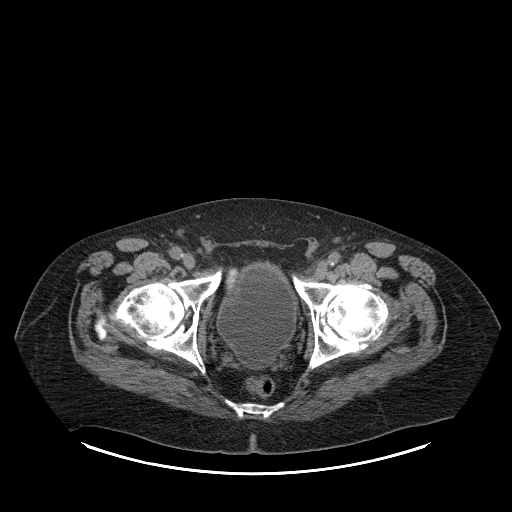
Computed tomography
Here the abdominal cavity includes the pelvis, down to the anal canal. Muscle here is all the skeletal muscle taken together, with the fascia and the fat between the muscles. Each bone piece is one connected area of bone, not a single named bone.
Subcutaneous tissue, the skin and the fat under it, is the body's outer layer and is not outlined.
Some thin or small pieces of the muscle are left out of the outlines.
Outlines (x, y in pixels):
torso: (231, 197) (293, 200) (362, 217) (417, 239) (454, 261) (478, 286) (500, 322) (487, 363) (455, 415) (352, 445) (277, 455) (230, 455) (182, 450) (99, 427) (81, 427) (70, 431) (39, 390) (14, 338) (24, 305) (42, 272) (69, 245) (93, 233) (193, 204)
bones 1: (219, 267) (222, 267) (219, 285) (214, 293) (202, 302) (199, 309) (196, 330) (197, 349) (205, 365) (204, 374) (184, 358) (172, 352) (163, 349) (156, 349) (148, 345) (128, 326) (120, 321) (112, 320) (108, 316) (135, 287) (164, 278) (179, 281) (198, 278) (214, 273)
bones 2: (292, 273) (295, 274) (301, 280) (314, 280) (318, 282) (363, 282) (370, 284) (382, 297) (388, 309) (388, 316) (381, 334) (375, 341) (364, 349) (356, 353) (350, 352) (326, 361) (305, 373) (306, 367) (314, 348) (314, 330) (310, 310) (305, 301) (296, 291) (291, 277)
bones 3: (225, 398) (238, 403) (251, 402) (252, 403) (264, 404) (265, 405) (271, 405) (282, 401) (284, 402) (284, 406) (276, 411) (274, 411) (266, 418) (264, 418) (261, 414) (252, 414) (246, 412) (243, 414) (242, 417) (239, 417) (237, 413) (224, 402) (224, 399)
bones 4: (102, 317) (104, 317) (105, 318) (105, 324) (104, 325) (104, 327) (106, 329) (106, 337) (104, 340) (99, 340) (96, 335) (96, 333) (94, 331) (94, 328) (93, 327) (93, 326) (94, 325) (94, 323) (96, 321) (96, 320) (97, 319) (98, 319) (99, 318) (101, 318)
abdominal cavity: (241, 246) (296, 249) (301, 255) (302, 265) (292, 270) (290, 277) (307, 319) (304, 358) (308, 361) (290, 393) (271, 404) (238, 402) (228, 398) (206, 372) (204, 362) (207, 327) (212, 317) (214, 294) (220, 285) (223, 273) (223, 267) (216, 261) (214, 251) (220, 247)
muscle 1: (123, 237) (158, 239) (197, 249) (245, 239) (292, 243) (307, 238) (327, 250) (363, 240) (391, 240) (435, 272) (435, 288) (446, 317) (443, 348) (415, 370) (309, 421) (270, 423) (212, 417) (108, 385) (75, 360) (68, 339) (67, 310) (77, 286) (79, 264) (90, 253); inner edges: (241, 246) (296, 249) (302, 265) (291, 271) (301, 280) (368, 283) (388, 309) (375, 341) (302, 372) (280, 400) (284, 406) (266, 418) (246, 412) (239, 417) (207, 372) (148, 345) (108, 316) (133, 288) (164, 278) (181, 281) (212, 274) (220, 266) (214, 257) (217, 248), then (102, 317) (104, 317) (105, 318) (105, 324) (104, 325) (104, 327) (106, 329) (106, 337) (104, 340) (99, 340) (96, 335) (96, 333) (94, 331) (94, 328) (93, 327) (93, 326) (94, 325) (94, 323) (96, 321) (96, 320) (97, 319) (98, 319) (99, 318) (101, 318)
muscle 2: (212, 295) (214, 295) (214, 296) (213, 297) (213, 304) (211, 308) (211, 317) (209, 322) (207, 323) (206, 333) (205, 334) (206, 345) (205, 346) (205, 358) (204, 361) (198, 349) (197, 330) (198, 329) (198, 323) (200, 318) (200, 309) (201, 306) (203, 302) (208, 297)
muscle 3: (302, 300) (304, 301) (309, 310) (310, 320) (312, 324) (312, 329) (313, 330) (313, 348) (312, 349) (312, 352) (308, 360) (307, 360) (305, 358) (305, 351) (306, 350) (307, 340) (308, 339) (308, 319) (305, 315) (305, 312) (303, 308)